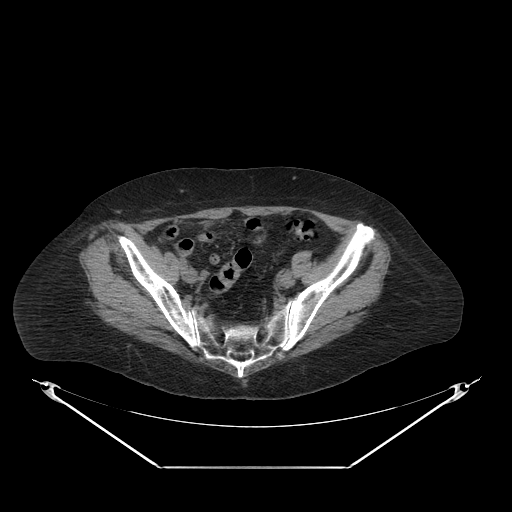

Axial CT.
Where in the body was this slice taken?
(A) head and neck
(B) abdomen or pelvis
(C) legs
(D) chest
Answer: (B) abdomen or pelvis
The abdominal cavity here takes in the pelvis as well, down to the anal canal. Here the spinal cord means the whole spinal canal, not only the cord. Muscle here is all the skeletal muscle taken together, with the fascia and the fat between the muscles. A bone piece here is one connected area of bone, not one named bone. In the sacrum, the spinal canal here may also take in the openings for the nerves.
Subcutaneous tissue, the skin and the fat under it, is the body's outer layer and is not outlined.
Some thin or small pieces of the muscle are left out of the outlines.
{"muscle":[[[245,205],[307,207],[362,221],[355,225],[331,270],[306,286],[292,270],[293,257],[307,251],[312,262],[322,261],[341,236],[307,211],[246,214],[234,210],[223,217],[189,217],[158,224],[142,237],[177,262],[173,285],[152,268],[130,238],[117,236],[132,275],[174,331],[191,349],[199,348],[206,360],[233,366],[238,378],[136,339],[108,325],[92,310],[88,303],[92,295],[78,260],[92,226],[111,219],[141,222]],[[369,225],[377,228],[387,242],[391,259],[382,291],[367,316],[350,332],[298,357],[255,372],[243,383],[240,379],[244,376],[245,368],[272,356],[278,350],[281,352],[290,350],[304,337],[319,308],[354,272],[365,247],[375,238],[375,229]]],"spinal_cord":[[[232,355],[248,355],[249,356],[249,357],[248,358],[247,358],[246,359],[244,359],[243,360],[239,360],[238,359],[235,359],[232,356]]],"abdominal_cavity":[[[234,211],[246,215],[307,212],[340,235],[322,260],[312,261],[307,250],[292,257],[291,270],[305,287],[273,312],[262,337],[258,324],[239,322],[222,325],[219,339],[202,314],[184,307],[174,287],[179,274],[174,256],[143,237],[169,221],[223,218]]],"torso":[[[194,166],[302,167],[342,177],[384,197],[407,218],[460,284],[464,305],[459,331],[444,342],[410,351],[343,383],[274,400],[193,398],[159,390],[92,364],[34,358],[25,350],[17,334],[12,301],[19,279],[36,255],[92,200],[111,188],[152,172]]],"bones":[{"outer":[[359,222],[375,234],[353,272],[324,300],[301,339],[245,367],[240,378],[233,365],[206,359],[175,331],[133,275],[118,241],[119,235],[130,239],[173,286],[183,307],[202,315],[219,340],[222,326],[239,323],[258,325],[262,338],[274,312],[332,270]],"hole":[[232,355],[248,355],[249,356],[249,357],[248,358],[247,358],[246,359],[244,359],[243,360],[239,360],[238,359],[235,359],[232,356]]}]}